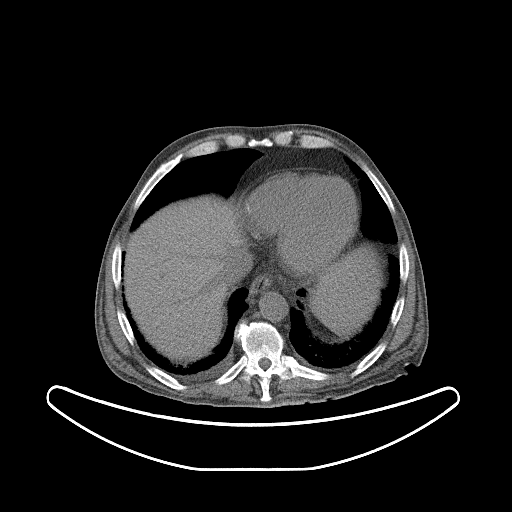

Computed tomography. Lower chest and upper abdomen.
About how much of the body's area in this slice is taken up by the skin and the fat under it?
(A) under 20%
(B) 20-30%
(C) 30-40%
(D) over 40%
Answer: (A) under 20%
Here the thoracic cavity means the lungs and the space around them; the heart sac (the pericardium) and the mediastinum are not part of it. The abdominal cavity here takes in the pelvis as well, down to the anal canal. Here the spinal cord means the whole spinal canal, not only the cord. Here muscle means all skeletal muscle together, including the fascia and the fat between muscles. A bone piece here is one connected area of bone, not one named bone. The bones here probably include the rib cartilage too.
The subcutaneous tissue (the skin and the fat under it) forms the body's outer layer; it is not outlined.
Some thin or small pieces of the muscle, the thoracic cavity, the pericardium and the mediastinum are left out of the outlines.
Outlines:
abdominal cavity 1: 204,192 218,192 229,196 229,203 236,205 239,225 246,239 251,241 253,265 247,277 229,297 227,327 213,351 187,367 175,366 146,342 122,297 122,266 125,257 123,249 129,230 135,229 156,210 174,200
abdominal cavity 2: 363,235 384,243 396,244 398,257 393,255 388,256 389,282 381,293 379,307 371,321 360,333 341,343 322,343 310,335 304,322 304,316 297,308 296,295 303,296 305,290 300,286 319,278 356,238 359,240
torso: 284,123 320,125 353,140 370,156 400,201 419,254 427,297 429,337 421,363 409,365 408,373 393,381 346,397 271,408 188,404 146,392 120,379 100,354 94,301 110,229 141,174 161,149 188,133 215,126
spinal cord: 262,358 267,358 270,361 270,365 266,369 264,369 263,368 262,368 259,365 259,360 260,360
muscle 1: 135,197 132,206 135,213 123,248 119,242 114,245 110,265 114,288 121,289 123,310 117,308 116,316 127,341 131,346 136,342 153,364 143,364 147,372 172,389 186,390 188,386 181,382 191,384 213,380 219,386 237,377 247,382 256,375 261,389 260,401 238,401 227,397 186,397 171,393 127,374 109,359 104,350 100,324 106,260 114,236
muscle 2: 395,206 414,255 415,280 423,315 423,337 419,347 386,370 349,386 315,392 306,390 308,394 271,401 273,375 281,380 302,377 323,381 330,378 328,372 354,366 349,373 352,379 369,368 385,350 387,342 380,340 388,324 394,328 400,319 405,297 398,296 399,286 400,281 406,283 410,269 406,245 401,242 398,249 397,245 391,215 396,212
muscle 3: 291,129 308,129 309,130 316,130 326,133 346,145 353,152 356,153 363,159 371,169 364,163 358,165 341,151 332,148 334,145 334,143 329,139 319,135 309,134 308,133 302,133 296,137 294,132
muscle 4: 226,132 250,134 254,137 263,137 259,139 257,139 255,137 247,138 243,135 241,134 238,134 237,133 228,134 222,139 222,143 225,146 229,148 227,149 220,149 220,147 221,146 220,142 216,139 210,139 209,140 202,141 190,147 184,152 179,152 174,157 166,160 173,153 192,141 194,141 197,139 205,137 210,134 215,134 216,133 225,133
thoracic cavity 1: 244,147 254,149 258,151 261,155 256,158 244,170 229,195 224,195 218,191 204,191 193,195 188,195 174,199 156,209 143,219 135,228 131,230 130,229 132,220 137,210 153,188 182,160 215,153 219,150
thoracic cavity 2: 389,256 398,258 397,297 391,310 389,322 379,342 355,366 326,372 303,365 292,355 284,352 286,338 291,327 290,311 292,308 301,312 309,335 322,344 341,344 360,334 372,321 380,307 382,293 390,282
thoracic cavity 3: 238,288 247,290 244,298 247,308 233,329 233,341 242,352 227,370 207,381 191,383 180,381 155,365 137,343 123,306 123,299 125,301 137,330 157,354 175,367 187,368 209,356 224,337 228,327 228,302
thoracic cavity 4: 345,156 347,156 359,166 372,183 384,202 391,216 391,219 394,226 397,237 397,242 396,243 384,242 379,239 374,239 363,234 361,230 361,215 362,214 362,200 360,189 361,178 352,170 349,164 345,160
pericardium: 293,167 323,167 335,170 349,178 359,198 359,221 355,239 341,252 341,255 313,281 305,281 290,276 276,263 266,246 255,240 252,242 251,240 248,240 240,225 236,212 237,203 246,185 262,175 276,170
mediastinum 1: 254,241 267,248 272,259 287,275 309,282 300,285 296,291 296,308 292,307 289,311 290,327 285,338 273,324 265,320 239,319 248,308 245,301 248,290 240,286 254,265 254,257 251,251 251,244
mediastinum 2: 274,145 306,149 331,148 345,155 344,160 360,178 362,235 359,239 356,237 360,221 360,198 350,178 335,169 323,166 293,166 276,169 254,178 243,187 236,204 230,203 230,194 240,177 262,155 252,148
bones 1: 241,319 273,325 285,339 284,353 303,366 328,373 329,378 315,380 296,376 281,379 273,374 268,402 260,400 262,389 256,374 247,381 237,376 226,383 216,384 214,380 243,352 234,341 234,329 with a hole at 262,358 267,358 270,361 270,365 266,369 264,369 263,368 262,368 259,365 259,360 260,360
bones 2: 287,130 291,130 296,138 302,134 325,138 333,143 331,147 306,148 300,147 297,142 293,141 288,145 274,144 230,148 223,143 223,139 228,135 237,134 247,139 255,138 257,140 264,137 272,139 280,132
bones 3: 210,140 216,140 219,142 220,146 217,151 207,154 192,156 191,157 184,157 161,178 152,188 136,211 134,210 133,206 136,197 142,189 146,181 152,175 160,164 174,158 179,153 184,153 190,148 202,142
bones 4: 382,341 385,341 386,342 386,346 380,356 369,367 368,367 365,370 364,370 362,372 352,378 350,376 350,373 356,367 356,366 360,362 360,361 362,359 363,359 380,342
bones 5: 144,364 148,364 149,365 154,365 156,366 159,369 162,370 170,376 173,377 182,384 186,385 187,386 187,388 184,390 178,390 164,384 162,382 159,381 156,378 155,378 151,374 150,374 145,368
bones 6: 362,164 366,165 371,170 371,171 378,178 378,179 386,189 393,203 393,205 395,209 395,212 394,214 391,214 390,213 385,202 381,197 380,194 376,189 375,186 370,180 365,172 360,167 360,166
bones 7: 117,243 119,243 120,244 120,246 122,250 122,252 121,253 121,281 120,282 120,287 118,289 116,289 115,288 115,286 113,282 113,279 112,278 112,272 111,271 112,255 113,254 113,251 114,250 115,245
bones 8: 401,243 403,243 405,245 405,246 406,247 406,250 407,251 407,254 408,255 408,261 409,262 409,269 408,270 408,275 407,276 407,279 406,280 405,283 403,283 400,280 400,275 399,274 399,246
bones 9: 117,309 120,309 124,311 125,313 125,315 128,320 128,322 130,325 130,327 132,330 132,332 133,333 133,335 135,339 135,342 133,345 131,345 130,344 121,328 121,326 119,323 118,317 117,316
bones 10: 400,296 403,296 404,297 404,303 403,304 403,308 402,309 402,311 401,312 401,314 399,317 398,321 396,323 395,326 393,327 390,323 390,317 391,316 391,314 392,313 392,310 395,304 395,302 397,298